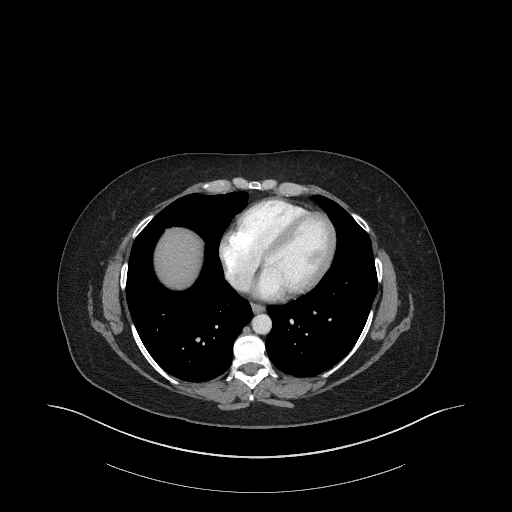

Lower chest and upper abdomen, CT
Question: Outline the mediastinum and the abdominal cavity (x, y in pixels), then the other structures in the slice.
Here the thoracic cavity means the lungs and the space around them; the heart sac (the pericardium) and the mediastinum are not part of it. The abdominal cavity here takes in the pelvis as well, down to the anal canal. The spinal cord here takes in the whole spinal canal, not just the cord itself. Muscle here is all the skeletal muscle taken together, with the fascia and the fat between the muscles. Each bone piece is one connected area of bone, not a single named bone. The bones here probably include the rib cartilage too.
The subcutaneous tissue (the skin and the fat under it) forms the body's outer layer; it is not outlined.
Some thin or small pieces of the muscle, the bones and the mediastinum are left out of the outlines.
Answer: The mediastinum appears in 3 outlined pieces: piece 1: [[264,341],[267,334],[271,329],[271,320],[266,312],[266,307],[269,304],[281,304],[266,304],[262,302],[252,300],[238,293],[248,300],[252,308],[252,312],[253,313],[252,318],[250,321],[245,326],[244,326],[240,334],[253,333],[258,335]]; piece 2: [[247,204],[250,200],[251,200],[254,197],[258,195],[263,195],[264,194],[268,194],[269,193],[273,193],[274,194],[275,193],[271,191],[261,191],[260,190],[250,190],[249,189],[247,189],[246,190],[235,190],[243,190],[245,191],[248,194],[248,202]]; piece 3: [[319,207],[320,207],[310,198],[310,195],[304,195],[303,194],[299,196],[290,196],[289,197],[287,197],[289,197],[290,198],[293,198],[294,199],[299,199],[303,201],[307,201],[308,202],[313,203],[315,205],[317,205]]. The abdominal cavity is outlined by [[175,291],[184,290],[193,284],[199,274],[203,262],[203,249],[204,248],[204,243],[203,241],[201,238],[193,231],[187,228],[183,228],[182,227],[171,227],[170,228],[167,228],[159,238],[154,248],[154,252],[153,253],[153,267],[158,280],[168,289]]. The pericardium is outlined by [[266,303],[283,303],[306,293],[317,283],[329,267],[335,250],[335,230],[325,212],[317,206],[307,202],[290,199],[277,194],[258,196],[250,201],[240,212],[234,216],[232,221],[225,230],[220,242],[219,256],[226,280],[238,292],[252,299]]. The bones appear in 8 outlined pieces: piece 1: [[251,389],[254,388],[267,375],[270,375],[274,378],[276,378],[278,375],[270,360],[265,354],[264,342],[256,335],[247,334],[238,336],[234,342],[233,345],[234,357],[232,360],[229,371],[225,377],[225,380],[229,381],[233,377],[237,378],[243,381]]; inner edge: [[250,375],[251,375],[252,374],[255,373],[258,368],[258,365],[257,365],[254,363],[252,363],[251,362],[250,362],[249,363],[247,363],[246,364],[243,365],[243,366],[242,367],[242,369],[243,370],[243,371],[245,373],[246,373],[247,374],[249,374]]; piece 2: [[286,196],[302,194],[308,190],[307,188],[298,183],[289,181],[279,182],[272,178],[264,179],[261,181],[247,180],[243,177],[233,177],[230,179],[215,179],[204,183],[201,187],[208,193],[224,193],[231,191],[234,188],[235,189],[249,188],[271,190]]; piece 3: [[173,384],[178,384],[179,382],[178,380],[174,377],[169,375],[162,368],[161,368],[149,354],[144,345],[142,343],[137,333],[137,331],[132,322],[130,324],[130,328],[131,329],[132,335],[134,338],[134,340],[138,346],[140,351],[153,368],[163,377]]; piece 4: [[322,377],[327,377],[343,365],[355,352],[361,344],[371,324],[371,320],[373,317],[373,313],[374,312],[374,310],[372,308],[371,308],[369,312],[366,323],[357,341],[353,347],[336,365],[335,365],[331,369],[324,372],[321,375]]; piece 5: [[133,239],[134,239],[137,236],[137,235],[151,220],[151,219],[154,216],[154,214],[149,214],[148,215],[147,215],[145,217],[144,217],[138,223],[138,224],[135,227],[135,228],[134,229],[134,230],[132,233],[132,235],[131,236],[131,237]]; piece 6: [[123,291],[124,291],[125,290],[125,284],[126,283],[126,279],[127,278],[127,261],[125,261],[122,264],[122,265],[121,266],[121,270],[120,271],[120,286],[121,287],[121,289]]; piece 7: [[368,233],[370,233],[370,229],[369,228],[369,227],[368,226],[368,225],[367,224],[367,223],[366,222],[366,221],[359,214],[358,214],[355,212],[351,212],[350,213],[350,214],[351,215],[351,216],[357,222],[357,223],[366,232],[367,232]]; piece 8: [[378,283],[380,283],[381,282],[381,276],[382,275],[382,263],[381,262],[381,260],[380,259],[380,258],[378,256],[375,256],[374,257],[374,260],[375,261],[375,268],[376,269],[376,274],[377,275],[377,282]]. The thoracic cavity appears in 2 outlined pieces: piece 1: [[188,381],[208,380],[228,371],[233,357],[233,342],[252,315],[247,300],[224,279],[218,256],[224,230],[231,218],[246,205],[247,194],[243,191],[224,194],[192,193],[183,196],[158,213],[132,246],[125,291],[132,320],[146,348],[161,367],[169,374]] with a hole at [[175,291],[184,290],[193,284],[199,274],[203,262],[203,249],[204,248],[204,243],[203,241],[201,238],[193,231],[187,228],[183,228],[182,227],[171,227],[170,228],[167,228],[159,238],[154,248],[154,252],[153,253],[153,267],[158,280],[168,289]]; piece 2: [[295,376],[312,376],[322,373],[349,351],[365,323],[377,286],[368,234],[341,206],[321,195],[311,195],[311,198],[326,212],[336,230],[336,250],[332,263],[318,283],[306,294],[285,304],[267,307],[272,320],[272,329],[265,340],[266,354],[276,369]]. The muscle appears in 3 outlined pieces: piece 1: [[224,410],[256,401],[292,407],[294,399],[330,389],[366,369],[410,327],[411,290],[367,221],[374,256],[383,263],[372,305],[374,317],[356,352],[327,378],[295,377],[276,370],[276,379],[267,376],[252,390],[234,378],[226,382],[227,372],[208,381],[178,379],[178,385],[171,384],[135,344],[125,292],[119,286],[120,266],[128,260],[130,236],[141,219],[102,264],[88,286],[92,327],[146,378],[171,391],[214,401]]; piece 2: [[144,216],[149,213],[154,213],[155,215],[172,201],[188,193],[191,193],[192,192],[202,192],[203,193],[207,193],[202,190],[200,187],[201,185],[205,182],[198,182],[195,183],[187,187],[181,192],[163,201],[161,201],[159,203],[156,204],[154,207]]; piece 3: [[349,213],[351,211],[355,211],[357,212],[353,208],[352,208],[351,206],[350,206],[347,203],[346,203],[335,195],[313,184],[301,184],[306,186],[309,190],[304,194],[321,194],[322,195],[324,195],[337,202],[340,205],[341,205],[342,207],[343,207]]. The torso is outlined by [[247,429],[310,425],[366,411],[414,390],[435,364],[445,323],[444,282],[437,250],[423,217],[405,190],[369,162],[319,149],[185,152],[163,156],[134,166],[110,181],[85,206],[67,237],[58,268],[56,301],[70,356],[81,375],[122,401],[154,414]]. The spinal cord is outlined by [[250,375],[251,375],[252,374],[255,373],[258,368],[258,365],[257,365],[254,363],[252,363],[251,362],[250,362],[249,363],[247,363],[246,364],[243,365],[243,366],[242,367],[242,369],[243,370],[243,371],[245,373],[246,373],[247,374],[249,374]].